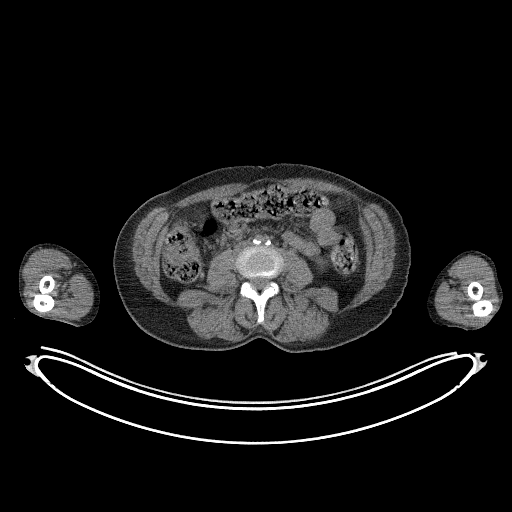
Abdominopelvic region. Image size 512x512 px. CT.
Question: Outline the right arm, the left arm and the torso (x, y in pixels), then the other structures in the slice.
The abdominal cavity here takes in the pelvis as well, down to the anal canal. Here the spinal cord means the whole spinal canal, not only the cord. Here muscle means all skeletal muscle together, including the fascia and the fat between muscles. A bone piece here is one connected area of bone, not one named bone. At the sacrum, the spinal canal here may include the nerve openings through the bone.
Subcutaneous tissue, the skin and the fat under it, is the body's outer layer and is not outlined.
Answer: {"right_arm":[[[43,242],[51,242],[61,245],[67,248],[84,261],[94,274],[99,286],[100,302],[99,303],[99,308],[97,314],[95,318],[90,323],[80,327],[77,327],[61,321],[41,318],[30,312],[23,305],[18,292],[18,268],[22,257],[25,252],[33,245]]],"left_arm":[[[471,249],[478,250],[487,254],[494,261],[497,268],[499,281],[503,291],[503,300],[501,306],[492,319],[486,325],[478,329],[468,331],[457,327],[439,326],[432,321],[427,311],[427,305],[426,304],[430,288],[438,273],[450,260],[459,253],[465,250]]],"torso":[[[277,162],[306,163],[342,174],[381,194],[399,211],[408,231],[411,265],[403,296],[390,316],[357,340],[328,350],[300,353],[282,350],[262,338],[227,350],[186,349],[143,331],[127,313],[113,272],[115,242],[127,218],[152,196],[204,172],[231,165]]],"muscle":[{"outer":[[263,178],[311,178],[323,180],[350,190],[365,202],[379,205],[387,213],[394,230],[395,256],[393,269],[388,282],[382,289],[360,305],[338,314],[331,320],[325,333],[316,341],[301,344],[281,342],[274,339],[260,326],[239,341],[225,344],[210,343],[199,337],[192,330],[184,312],[180,308],[170,306],[156,299],[140,282],[135,273],[132,258],[135,230],[140,221],[155,207],[170,205],[211,187],[230,183],[250,183]],"hole":[[264,182],[356,202],[366,244],[359,291],[341,306],[330,286],[306,287],[313,273],[293,249],[275,247],[283,259],[274,279],[279,292],[266,301],[258,323],[255,303],[239,292],[241,247],[216,254],[206,282],[170,297],[160,282],[159,258],[172,217]]},{"outer":[[41,248],[52,248],[64,253],[73,263],[76,264],[74,269],[77,272],[82,273],[90,282],[93,289],[93,305],[90,311],[83,317],[79,319],[68,319],[64,317],[51,316],[37,312],[27,304],[23,294],[24,281],[22,277],[22,270],[30,255]],"hole":[[46,274],[49,274],[55,281],[54,287],[50,293],[50,294],[54,299],[54,305],[49,311],[47,311],[46,312],[40,312],[33,306],[32,304],[32,300],[34,297],[34,294],[38,293],[39,292],[39,288],[38,286],[39,285],[39,281],[40,279]]},{"outer":[[467,255],[474,255],[481,257],[488,263],[493,272],[494,280],[495,281],[495,288],[499,299],[496,309],[486,320],[476,326],[468,326],[444,319],[438,315],[434,305],[434,297],[436,290],[441,282],[443,280],[445,280],[448,277],[448,270],[457,260]],"hole":[[472,281],[477,281],[483,287],[483,293],[482,294],[482,297],[484,299],[488,299],[490,300],[492,304],[492,310],[490,313],[486,316],[475,316],[473,313],[473,311],[472,310],[472,304],[474,301],[472,300],[467,294],[467,287],[470,282]]}],"abdominal_cavity":[[[264,182],[345,194],[356,202],[366,244],[364,282],[359,291],[341,306],[338,292],[330,286],[306,287],[313,273],[293,249],[254,241],[219,252],[209,262],[206,282],[170,297],[160,282],[159,258],[172,217],[196,202]]],"bones":[{"outer":[[254,242],[256,244],[274,248],[283,259],[281,269],[274,279],[278,284],[279,292],[266,301],[264,308],[264,318],[261,323],[257,322],[257,311],[255,303],[250,298],[240,295],[240,286],[244,278],[236,266],[236,259],[238,254],[245,247],[254,244]],"hole":[[255,277],[264,277],[265,278],[267,278],[269,280],[268,281],[268,283],[267,284],[267,285],[264,288],[263,288],[260,290],[258,290],[257,289],[254,288],[253,287],[252,284],[250,282],[250,279],[251,279],[252,278],[254,278]]},[[46,274],[49,274],[55,281],[54,287],[50,293],[50,294],[54,299],[54,305],[49,311],[47,311],[46,312],[40,312],[33,306],[32,304],[32,300],[34,297],[34,294],[38,293],[39,292],[39,288],[38,286],[39,285],[39,281],[40,279]],[[472,281],[477,281],[483,287],[483,293],[482,294],[482,297],[484,299],[488,299],[490,300],[492,304],[492,310],[490,313],[486,316],[475,316],[473,313],[473,311],[472,310],[472,304],[474,301],[472,300],[467,294],[467,287],[470,282]]],"spinal_cord":[[[255,277],[264,277],[265,278],[267,278],[269,280],[268,281],[268,283],[267,284],[267,285],[264,288],[263,288],[260,290],[258,290],[257,289],[254,288],[253,287],[252,284],[250,282],[250,279],[251,279],[252,278],[254,278]]]}